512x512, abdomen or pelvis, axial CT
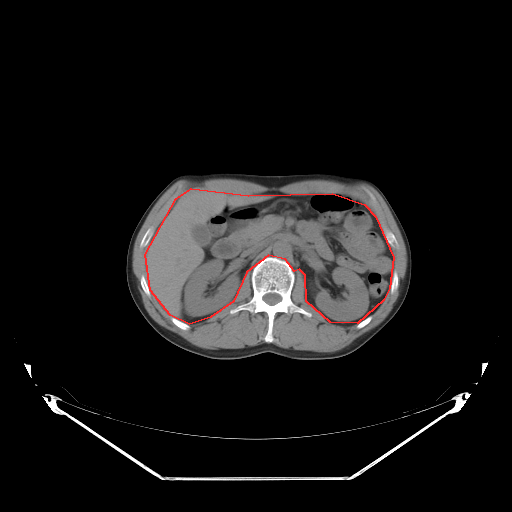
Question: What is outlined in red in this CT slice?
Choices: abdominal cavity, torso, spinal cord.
Answer: red: abdominal cavity.
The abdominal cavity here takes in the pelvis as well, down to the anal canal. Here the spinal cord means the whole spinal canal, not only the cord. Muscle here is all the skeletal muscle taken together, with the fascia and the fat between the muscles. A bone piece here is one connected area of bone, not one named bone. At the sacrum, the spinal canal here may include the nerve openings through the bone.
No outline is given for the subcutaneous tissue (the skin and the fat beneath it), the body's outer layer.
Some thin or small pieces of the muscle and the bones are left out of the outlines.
The abdominal cavity is outlined by (191, 188) (248, 195) (332, 193) (364, 204) (375, 216) (393, 257) (389, 288) (383, 300) (357, 323) (330, 322) (306, 301) (305, 275) (299, 269) (294, 271) (285, 259) (268, 255) (246, 272) (233, 301) (210, 317) (189, 324) (170, 315) (150, 290) (145, 254) (176, 198). The bones appear in 7 outlined pieces: piece 1: (268, 256) (285, 260) (291, 266) (295, 278) (290, 298) (296, 305) (311, 313) (308, 317) (299, 312) (278, 312) (273, 319) (272, 342) (264, 340) (268, 329) (268, 316) (265, 312) (253, 313) (248, 310) (240, 310) (233, 314) (229, 312) (252, 298) (252, 270) (261, 259); inner edge: (269, 293) (275, 293) (276, 294) (278, 294) (281, 297) (281, 299) (278, 302) (277, 302) (275, 304) (273, 304) (272, 305) (271, 305) (270, 304) (268, 304) (263, 299) (263, 296) (264, 295) (265, 295) (266, 294) (268, 294); piece 2: (383, 228) (387, 228) (391, 232) (392, 232) (393, 233) (393, 234) (395, 236) (395, 237) (396, 238) (396, 239) (397, 240) (397, 241) (398, 242) (398, 247) (392, 247) (388, 243) (388, 242) (386, 240) (386, 239) (385, 238) (385, 237) (384, 236) (384, 233) (383, 232); piece 3: (151, 226) (152, 226) (154, 228) (154, 231) (153, 232) (153, 234) (151, 236) (151, 238) (149, 240) (149, 242) (147, 244) (147, 245) (146, 246) (141, 248) (140, 247) (140, 241) (141, 240) (141, 239) (142, 238) (144, 233) (146, 231) (146, 230) (149, 227) (150, 227); piece 4: (394, 271) (395, 271) (397, 273) (397, 276) (398, 277) (398, 286) (397, 287) (397, 288) (396, 289) (396, 290) (393, 293) (391, 293) (391, 292) (390, 291) (390, 284) (391, 283) (391, 280) (392, 279) (392, 274) (393, 273) (393, 272); piece 5: (142, 275) (144, 275) (146, 279) (146, 281) (147, 282) (147, 284) (148, 285) (148, 287) (150, 291) (150, 294) (151, 295) (150, 297) (149, 297) (145, 293) (145, 292) (143, 290) (141, 286) (141, 284) (140, 283) (140, 278); piece 6: (172, 317) (173, 317) (174, 318) (176, 318) (178, 320) (180, 320) (181, 321) (182, 321) (183, 322) (188, 324) (189, 325) (190, 328) (189, 328) (186, 330) (181, 329) (179, 327) (178, 327) (176, 325) (175, 325) (172, 322) (172, 321) (171, 320) (171, 318); piece 7: (370, 315) (371, 315) (371, 316) (372, 317) (371, 318) (371, 319) (370, 320) (370, 321) (367, 324) (366, 324) (364, 326) (363, 326) (361, 328) (357, 328) (356, 327) (356, 325) (359, 322) (360, 322) (362, 320) (363, 320) (365, 318) (366, 318) (368, 316) (369, 316). The spinal cord is outlined by (269, 293) (275, 293) (276, 294) (278, 294) (281, 297) (281, 299) (278, 302) (277, 302) (275, 304) (273, 304) (272, 305) (271, 305) (270, 304) (268, 304) (263, 299) (263, 296) (264, 295) (265, 295) (266, 294) (268, 294). The torso is outlined by (209, 172) (263, 175) (328, 172) (362, 176) (375, 183) (397, 214) (411, 247) (409, 289) (396, 314) (355, 351) (316, 361) (302, 361) (270, 352) (239, 359) (213, 359) (182, 349) (158, 334) (140, 313) (128, 289) (125, 269) (129, 240) (145, 209) (170, 180) (184, 173). The muscle is outlined by (211, 178) (234, 178) (267, 187) (280, 187) (293, 182) (316, 179) (360, 182) (373, 187) (387, 205) (406, 249) (404, 286) (389, 313) (376, 326) (337, 351) (291, 350) (271, 343) (274, 341) (274, 319) (278, 313) (299, 313) (308, 318) (312, 316) (310, 311) (296, 304) (291, 298) (297, 270) (304, 275) (305, 301) (328, 322) (340, 326) (356, 324) (357, 329) (367, 325) (388, 290) (393, 294) (399, 286) (398, 273) (393, 271) (394, 257) (391, 248) (399, 247) (396, 236) (387, 227) (383, 227) (382, 230) (376, 216) (364, 203) (341, 193) (288, 194) (265, 191) (248, 194) (191, 187) (175, 198) (155, 229) (151, 225) (143, 233) (139, 247) (141, 249) (146, 247) (145, 276) (144, 274) (140, 276) (140, 286) (149, 298) (152, 295) (161, 309) (171, 316) (170, 320) (175, 326) (186, 331) (191, 328) (190, 324) (205, 321) (233, 302) (245, 275) (250, 270) (251, 298) (228, 312) (231, 315) (240, 311) (265, 313) (267, 316) (267, 329) (263, 337) (265, 342) (242, 348) (206, 349) (192, 344) (157, 323) (144, 306) (132, 269) (136, 237) (151, 209) (175, 182) (181, 179) (202, 181) with a hole at (368, 192) (370, 192) (375, 197) (375, 199) (376, 200) (376, 203) (374, 203) (373, 202) (373, 201) (371, 199) (371, 198) (370, 197) (370, 196) (369, 195) (369, 194) (368, 193).